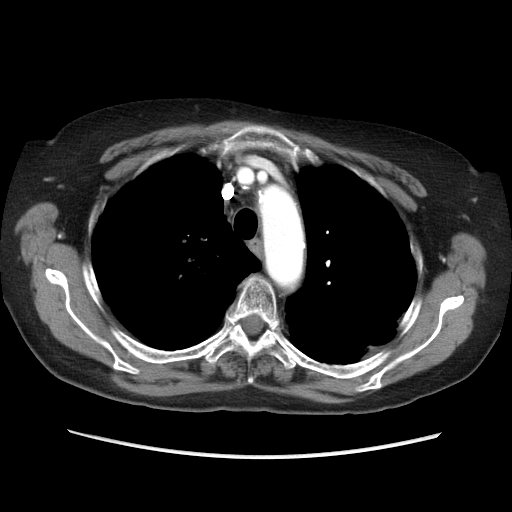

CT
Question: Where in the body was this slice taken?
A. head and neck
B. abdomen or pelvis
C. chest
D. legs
Answer: C. chest
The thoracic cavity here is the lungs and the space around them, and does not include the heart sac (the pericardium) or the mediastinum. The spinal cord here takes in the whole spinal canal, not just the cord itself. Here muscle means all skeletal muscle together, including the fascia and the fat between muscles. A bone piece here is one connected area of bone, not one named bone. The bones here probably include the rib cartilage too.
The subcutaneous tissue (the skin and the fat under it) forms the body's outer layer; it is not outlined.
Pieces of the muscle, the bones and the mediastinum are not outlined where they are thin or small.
Outlined structures:
bones 1: [[253,274],[271,285],[283,333],[307,356],[327,364],[349,364],[384,349],[390,354],[350,378],[297,364],[287,369],[267,349],[249,363],[240,347],[214,363],[203,356],[165,363],[135,356],[115,338],[112,326],[152,348],[188,348],[222,326],[239,286]] with a hole at [[253,314],[255,314],[257,315],[262,320],[263,322],[263,326],[262,327],[262,331],[260,333],[260,334],[259,334],[256,337],[251,338],[249,337],[244,331],[243,329],[243,325],[242,324],[242,320],[244,318],[250,315],[252,315]]
bones 2: [[251,123],[265,124],[279,130],[301,148],[308,148],[314,152],[322,163],[320,165],[313,165],[307,160],[299,158],[296,170],[286,156],[263,148],[245,148],[222,155],[218,151],[213,151],[206,155],[201,155],[198,152],[201,147],[219,142]]
bones 3: [[457,295],[463,296],[463,302],[459,306],[449,309],[443,314],[439,332],[426,346],[387,370],[381,377],[382,386],[380,388],[364,391],[355,390],[358,385],[365,383],[372,375],[380,371],[391,361],[423,343],[432,334],[437,325],[441,302],[447,297]]
bones 4: [[46,268],[59,270],[65,275],[69,290],[69,305],[72,311],[94,334],[108,342],[122,360],[138,368],[138,373],[130,373],[112,367],[114,361],[112,354],[104,346],[90,337],[72,318],[65,306],[64,289],[60,285],[51,283],[48,280],[45,275]]
bones 5: [[87,260],[89,260],[92,264],[92,267],[93,268],[93,271],[95,275],[95,278],[96,279],[98,287],[100,290],[100,292],[103,299],[102,300],[103,311],[102,311],[98,307],[96,303],[93,300],[84,282],[84,278],[82,273],[82,264]]
bones 6: [[415,295],[417,295],[421,298],[421,306],[420,307],[420,309],[419,310],[418,315],[415,321],[409,328],[409,329],[403,335],[400,336],[399,334],[401,330],[398,327],[398,324],[401,318],[403,316],[404,313],[409,307],[411,303],[411,301],[413,297]]
bones 7: [[181,144],[183,144],[184,145],[181,148],[178,153],[176,153],[167,158],[165,158],[162,160],[160,160],[152,164],[141,173],[134,177],[135,173],[137,171],[137,170],[149,157],[155,154],[165,147],[171,147],[172,146],[176,146],[177,145],[180,145]]
bones 8: [[346,163],[350,163],[351,164],[357,165],[361,167],[368,173],[371,174],[373,176],[377,183],[383,189],[385,193],[385,195],[386,196],[384,197],[376,189],[371,186],[366,181],[359,177],[355,173],[350,170],[347,167]]
bones 9: [[411,238],[412,238],[412,242],[415,246],[415,247],[416,248],[417,247],[419,247],[422,253],[423,263],[422,264],[421,274],[419,276],[418,276],[417,274],[416,263],[415,262],[415,260],[412,255],[412,253],[410,249],[410,239]]
bones 10: [[95,203],[96,204],[96,208],[95,209],[95,216],[97,218],[97,221],[95,223],[95,225],[93,228],[92,235],[91,236],[91,237],[90,237],[88,234],[88,221],[89,220],[89,216],[90,215],[90,212],[91,211],[91,209],[92,208],[93,205]]
spinal cord: [[253,314],[255,314],[257,315],[262,320],[263,322],[263,326],[262,327],[262,331],[260,333],[260,334],[259,334],[256,337],[251,338],[249,337],[244,331],[243,329],[243,325],[242,324],[242,320],[244,318],[250,315],[252,315]]
mediastinum: [[245,149],[269,150],[286,157],[296,171],[299,159],[310,164],[295,175],[305,230],[305,279],[299,289],[286,299],[283,311],[278,307],[270,282],[260,275],[250,274],[258,271],[261,263],[232,229],[224,213],[221,172],[206,157],[213,152],[222,156]]
muscle 1: [[41,201],[50,201],[57,206],[59,213],[55,226],[61,233],[61,240],[79,249],[82,248],[88,216],[91,261],[87,259],[81,264],[85,287],[97,307],[104,311],[103,300],[131,335],[112,325],[109,329],[114,338],[129,353],[148,363],[165,364],[203,357],[214,364],[225,353],[238,352],[240,348],[248,364],[259,352],[267,350],[287,370],[297,365],[338,379],[360,376],[382,364],[391,354],[390,349],[384,348],[363,358],[372,348],[391,340],[397,327],[401,337],[414,324],[422,306],[422,298],[414,294],[423,264],[427,269],[425,284],[428,285],[446,268],[451,238],[458,232],[474,235],[485,248],[483,301],[473,314],[470,334],[446,359],[382,387],[383,375],[426,347],[440,332],[444,314],[464,302],[462,294],[445,297],[439,304],[437,322],[431,334],[358,384],[354,388],[356,392],[376,390],[353,401],[323,403],[268,392],[251,385],[233,390],[170,396],[138,394],[119,387],[108,376],[110,370],[105,365],[61,343],[41,321],[33,302],[30,270],[18,258],[20,250],[14,234],[20,216]]; inner edge: [[46,268],[59,270],[65,275],[69,290],[69,305],[72,311],[94,334],[108,342],[122,360],[138,368],[138,373],[130,373],[112,367],[114,361],[112,354],[104,346],[90,337],[72,318],[65,306],[64,289],[60,285],[51,283],[48,280],[45,275]]
muscle 2: [[230,119],[251,120],[307,132],[376,155],[409,172],[427,192],[417,199],[417,209],[406,214],[420,247],[416,247],[412,237],[409,239],[404,222],[371,173],[350,162],[345,163],[346,167],[323,162],[310,148],[301,147],[279,129],[271,125],[258,122],[248,123],[203,145],[197,152],[179,153],[183,143],[163,147],[149,156],[133,178],[107,200],[97,217],[95,201],[102,185],[108,182],[104,173],[109,166],[99,159],[109,146],[169,126]]
torso: [[168,97],[228,98],[398,126],[455,148],[478,169],[496,172],[508,214],[511,273],[499,335],[480,365],[460,382],[407,405],[358,415],[154,409],[96,395],[50,373],[20,335],[2,289],[0,237],[18,160],[28,140],[51,138],[66,123],[90,111]]
thoracic cavity 1: [[186,152],[196,152],[205,156],[219,170],[223,213],[231,229],[259,261],[260,267],[239,284],[240,289],[236,298],[225,311],[221,326],[213,334],[188,347],[166,350],[152,347],[133,337],[104,300],[92,263],[92,236],[106,203],[124,185],[152,165]]
thoracic cavity 2: [[323,163],[347,168],[389,201],[407,232],[417,275],[413,296],[397,324],[393,337],[372,347],[362,359],[349,363],[327,363],[307,355],[286,336],[279,314],[279,310],[284,311],[287,299],[300,289],[306,279],[306,230],[296,175],[302,168],[320,166]]